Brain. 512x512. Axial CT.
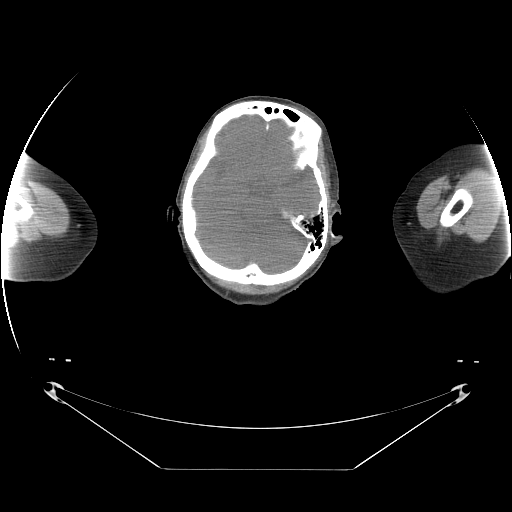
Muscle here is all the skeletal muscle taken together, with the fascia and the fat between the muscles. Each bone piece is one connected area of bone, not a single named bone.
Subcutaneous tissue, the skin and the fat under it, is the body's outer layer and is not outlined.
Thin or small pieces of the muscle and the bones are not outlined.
The right arm is outlined by 24,154 35,159 64,178 86,200 96,217 98,227 98,236 93,249 87,256 81,267 73,274 63,280 53,282 43,281 17,282 10,279 5,278 3,279 1,277 0,234 2,231 5,204 15,169 20,158. The brain is outlined by 242,116 259,116 266,130 273,120 291,129 286,137 295,152 292,167 309,167 317,186 315,209 296,214 292,207 281,209 307,241 299,259 278,272 254,261 227,266 206,253 196,234 195,185 218,153 218,134. The left arm is outlined by 468,142 484,142 498,174 505,200 508,230 511,234 511,253 506,262 494,275 476,280 466,287 451,294 438,295 426,289 410,268 393,231 392,210 397,198 405,189 408,181 418,170 438,157 447,149 455,145. The bones appear in 3 outlined pieces: piece 1: 247,100 269,100 295,107 313,118 323,131 318,144 316,163 327,190 327,210 334,235 328,235 318,257 300,276 273,285 238,283 209,274 194,258 182,229 181,204 186,179 202,150 205,134 213,118 226,107; inner edges: 242,116 259,116 266,130 273,120 291,129 286,137 295,152 292,167 309,167 317,186 315,209 296,214 292,207 281,209 307,241 299,259 278,272 254,261 227,266 206,253 196,234 195,185 218,153 218,134, then 286,110 288,110 289,111 290,111 291,112 292,112 294,114 295,114 297,116 297,118 295,120 293,120 292,119 291,119 291,118 285,112 285,111; piece 2: 459,188 465,188 472,195 472,196 473,197 473,203 472,204 471,207 453,225 452,225 449,227 444,227 443,226 442,226 439,222 439,218 440,217 441,212 444,208 445,205 451,198 454,191 456,189 458,189; piece 3: 9,188 16,191 18,194 22,196 29,203 32,204 33,208 35,210 35,213 34,213 30,218 21,220 18,222 17,221 14,222 9,222 8,221 3,222 3,215 4,214 7,196 9,192. The head is outlined by 248,95 287,98 315,112 327,128 339,177 341,213 333,216 331,230 343,239 330,250 310,283 263,305 235,304 209,289 182,252 178,209 174,208 173,221 167,222 167,207 175,201 200,130 222,105; inner edge: 286,110 288,110 289,111 290,111 291,112 292,112 294,114 295,114 297,116 297,118 295,120 293,120 292,119 291,119 291,118 285,112 285,111. The muscle appears in 6 outlined pieces: piece 1: 473,165 477,165 487,170 497,180 500,181 502,187 502,209 496,227 488,239 480,244 470,243 458,246 446,246 440,249 432,247 423,237 418,228 415,205 419,194 425,185 438,175 448,171 453,172 459,168, around a hole outlined by 459,188 465,188 472,195 472,196 473,197 473,203 472,204 471,207 453,225 452,225 449,227 444,227 443,226 442,226 439,222 439,218 440,217 441,212 444,208 445,205 451,198 454,191 456,189 458,189; piece 2: 12,178 36,180 62,196 70,210 72,218 68,232 65,236 49,242 40,241 34,243 23,243 0,249 0,234 2,231 3,223 18,223 21,221 28,220 36,213 36,210 32,203 29,202 16,190 10,188; piece 3: 328,238 327,244 328,245 322,257 310,270 293,284 277,292 269,294 253,295 230,291 213,282 202,270 218,279 228,282 235,282 238,284 244,285 252,284 258,286 273,286 283,284 300,277 316,261 325,248; piece 4: 323,134 323,143 325,148 324,150 328,161 331,165 330,176 332,179 331,182 333,184 334,208 329,215 328,210 329,205 328,190 326,187 325,181 322,176 322,171 317,163 319,153 319,144 322,141; piece 5: 207,128 204,134 204,142 201,148 201,150 199,152 197,157 195,159 192,165 191,170 189,172 188,175 185,179 185,183 184,184 184,187 183,188 183,191 182,192 182,195 181,196 181,203 181,195 182,194 182,187 184,183 184,180 185,179 185,176 186,175 186,173 193,159 193,157 194,156 195,151 197,148 199,140 201,136 203,134 204,131; piece 6: 290,105 293,105 294,106 298,106 299,107 302,108 306,112 307,112 310,115 311,115 313,117 312,117 307,113 304,112 302,110 299,109 297,107 296,107 295,106 293,106 292,105.